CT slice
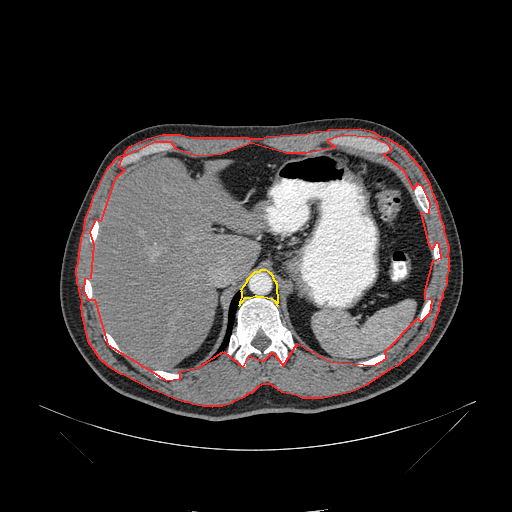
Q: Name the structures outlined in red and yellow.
A: red: muscle; yellow: mediastinum.
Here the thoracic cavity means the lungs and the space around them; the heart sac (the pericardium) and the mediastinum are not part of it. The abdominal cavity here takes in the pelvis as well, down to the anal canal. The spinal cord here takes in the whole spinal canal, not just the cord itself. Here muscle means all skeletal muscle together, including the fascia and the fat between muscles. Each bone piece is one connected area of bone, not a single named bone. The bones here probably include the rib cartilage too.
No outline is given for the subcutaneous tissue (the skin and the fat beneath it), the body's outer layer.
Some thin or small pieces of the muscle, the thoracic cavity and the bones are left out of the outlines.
{"muscle":[{"outer":[[212,406],[214,405],[222,405],[232,402],[234,400],[242,397],[250,392],[252,392],[259,385],[263,383],[269,383],[281,391],[296,394],[302,397],[322,397],[350,391],[366,384],[392,367],[397,365],[414,352],[429,335],[434,325],[434,322],[439,310],[440,301],[443,296],[443,292],[447,284],[447,275],[449,271],[449,258],[448,257],[449,247],[444,231],[444,226],[440,217],[437,202],[435,200],[435,197],[433,194],[430,184],[420,167],[403,148],[387,138],[381,137],[373,132],[360,129],[328,130],[327,131],[314,132],[307,134],[266,137],[262,139],[249,139],[248,138],[192,138],[180,135],[162,135],[147,139],[129,147],[124,152],[123,155],[117,157],[106,169],[92,197],[90,205],[84,219],[83,230],[80,238],[77,263],[75,269],[76,283],[78,287],[79,296],[81,300],[81,305],[80,306],[81,314],[87,340],[99,358],[107,365],[120,373],[124,374],[152,389],[157,390],[175,398],[184,401],[188,401],[192,403],[202,405],[211,405]],"hole":[[166,380],[180,378],[180,371],[198,367],[223,351],[243,367],[249,355],[263,361],[272,352],[283,365],[297,343],[330,361],[374,365],[386,358],[385,351],[417,318],[421,321],[430,312],[432,300],[425,299],[425,290],[433,260],[441,257],[439,244],[435,242],[432,249],[429,245],[421,212],[429,213],[430,203],[423,187],[417,183],[413,189],[405,172],[383,154],[391,150],[389,145],[371,137],[342,135],[327,140],[335,147],[306,153],[286,153],[251,143],[221,154],[197,156],[176,149],[171,142],[154,142],[121,158],[118,166],[124,170],[114,179],[100,221],[95,219],[89,232],[93,244],[90,278],[84,279],[83,290],[87,299],[94,299],[107,344]]}],"mediastinum":[[[239,305],[245,297],[250,297],[255,295],[256,296],[263,296],[271,298],[274,300],[277,305],[278,303],[277,284],[273,278],[273,276],[269,272],[265,270],[260,270],[258,272],[254,272],[246,280],[246,282],[240,290],[241,291],[241,297],[239,301]]],"torso":[[[208,421],[265,413],[319,413],[365,401],[401,384],[433,351],[459,302],[463,258],[447,200],[420,153],[403,135],[381,123],[353,117],[280,125],[164,123],[127,135],[104,156],[81,202],[64,248],[59,297],[66,328],[88,365],[118,393],[170,413]]],"thoracic_cavity":[[[210,361],[216,358],[225,349],[228,343],[229,336],[235,324],[235,312],[238,306],[238,301],[240,297],[240,291],[238,291],[234,295],[234,297],[232,298],[228,312],[228,325],[226,329],[226,333],[224,336],[224,339],[216,352],[210,359]]],"abdominal_cavity":[[[173,372],[209,361],[223,339],[231,298],[260,269],[274,276],[282,319],[306,351],[356,363],[395,344],[418,317],[433,266],[405,172],[383,154],[340,147],[286,153],[259,143],[208,156],[176,149],[124,168],[106,196],[92,246],[94,304],[125,353]]],"bones":[{"outer":[[243,367],[245,359],[249,355],[254,354],[263,361],[272,352],[279,358],[280,365],[283,365],[288,359],[288,352],[296,350],[296,344],[291,332],[281,319],[278,307],[271,299],[255,296],[245,298],[237,309],[236,324],[224,352],[228,356],[232,355]],"hole":[[260,350],[263,350],[265,348],[266,348],[270,344],[270,340],[266,336],[265,336],[263,334],[258,334],[253,339],[253,340],[251,342],[251,343],[253,345],[253,346],[254,346],[256,348],[257,348],[258,349],[259,349]]},[[374,153],[387,153],[391,150],[391,147],[389,145],[383,141],[375,138],[365,137],[364,136],[357,136],[356,135],[353,136],[342,135],[341,136],[336,136],[327,140],[327,142],[332,145],[341,146],[342,147],[350,147]],[[119,167],[123,167],[130,163],[139,160],[144,156],[147,156],[156,152],[159,152],[160,151],[173,151],[175,150],[175,145],[171,142],[154,142],[153,143],[146,144],[142,146],[137,151],[132,152],[127,155],[123,156],[118,162],[118,166]],[[425,213],[429,213],[430,212],[430,203],[429,202],[429,200],[428,199],[428,197],[426,194],[426,192],[425,191],[425,190],[423,188],[423,187],[419,183],[417,183],[414,187],[414,195],[415,196],[415,197],[418,202],[418,204],[420,206],[421,209]],[[166,380],[172,380],[173,379],[178,379],[181,377],[181,374],[180,374],[179,373],[173,373],[172,372],[167,372],[166,371],[163,371],[162,370],[153,370],[152,371],[152,373],[156,377],[158,377],[159,378],[161,378],[162,379],[165,379]],[[358,366],[370,366],[371,365],[374,365],[375,364],[377,364],[378,363],[381,362],[386,358],[386,354],[385,353],[381,353],[380,354],[379,354],[376,356],[374,356],[373,357],[372,357],[367,360],[364,360],[363,361],[360,361],[357,363],[357,365]],[[119,354],[124,354],[124,353],[119,348],[119,347],[117,345],[117,344],[115,342],[115,341],[113,339],[113,338],[106,331],[105,331],[103,333],[103,337],[104,338],[104,339],[105,340],[105,341],[107,343],[107,344],[115,352],[116,352]],[[419,321],[421,321],[430,312],[430,311],[431,310],[431,308],[432,307],[432,300],[431,299],[428,299],[427,300],[426,300],[426,301],[424,303],[424,305],[421,310],[421,312],[420,313],[420,314],[419,315],[419,317],[418,318],[418,320]],[[92,243],[95,240],[95,239],[97,236],[97,234],[98,233],[98,229],[99,228],[99,222],[97,219],[95,219],[94,220],[94,221],[92,224],[92,226],[90,229],[90,231],[89,232],[89,241]],[[89,300],[90,300],[92,298],[92,288],[91,287],[91,283],[90,282],[90,281],[89,280],[89,279],[88,279],[87,278],[86,278],[85,279],[84,279],[84,281],[83,282],[83,290],[84,291],[84,293],[85,294],[85,296],[86,297],[86,298]]],"spinal_cord":[[[260,350],[263,350],[265,348],[266,348],[270,344],[270,340],[266,336],[265,336],[263,334],[258,334],[253,339],[253,340],[251,342],[251,343],[253,345],[253,346],[254,346],[256,348],[257,348],[258,349],[259,349]]]}